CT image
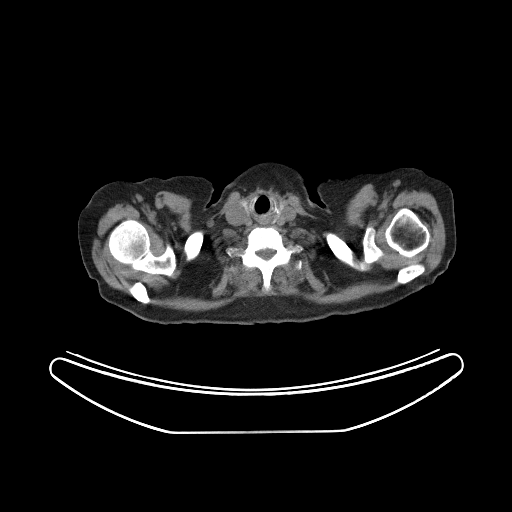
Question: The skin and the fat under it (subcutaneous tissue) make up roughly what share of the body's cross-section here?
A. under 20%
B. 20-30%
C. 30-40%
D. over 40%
Answer: C. 30-40%
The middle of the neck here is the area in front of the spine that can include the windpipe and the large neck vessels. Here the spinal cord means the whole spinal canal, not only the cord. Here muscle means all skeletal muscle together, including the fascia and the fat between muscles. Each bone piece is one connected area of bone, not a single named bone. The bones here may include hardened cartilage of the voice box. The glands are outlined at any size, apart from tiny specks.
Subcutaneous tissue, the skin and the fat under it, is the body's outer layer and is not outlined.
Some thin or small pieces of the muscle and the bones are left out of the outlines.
{"torso":[[[264,160],[299,171],[319,206],[324,205],[316,191],[320,182],[382,172],[369,206],[372,244],[407,279],[432,284],[383,308],[303,323],[165,325],[101,297],[94,280],[136,267],[157,238],[156,212],[138,181],[202,176],[214,187],[210,205],[231,180]]],"bones":[[[127,219],[136,220],[143,225],[149,236],[150,250],[155,256],[159,256],[164,252],[167,243],[171,245],[176,259],[176,266],[171,276],[157,273],[148,273],[141,270],[135,270],[129,265],[122,263],[113,257],[108,246],[108,236],[110,232],[120,222]],[[403,207],[411,209],[419,216],[427,227],[430,234],[430,238],[427,246],[411,259],[414,262],[421,263],[425,268],[424,271],[407,283],[398,284],[396,282],[397,272],[400,268],[406,265],[409,260],[401,256],[387,244],[385,238],[385,230],[396,212]],{"outer":[[256,226],[273,226],[286,244],[298,244],[303,248],[300,252],[292,254],[288,263],[278,265],[273,269],[270,280],[271,288],[267,292],[262,289],[263,277],[257,267],[246,268],[240,257],[230,257],[226,253],[226,248],[229,246],[244,247],[247,235]],"hole":[[264,249],[271,249],[272,250],[274,250],[275,251],[275,252],[272,255],[272,256],[271,257],[270,257],[267,259],[265,259],[264,258],[263,258],[262,257],[261,257],[259,255],[258,255],[257,254],[257,251],[259,251],[260,250],[263,250]]},[[368,226],[374,228],[375,230],[374,241],[376,245],[384,252],[384,256],[370,264],[367,270],[361,271],[343,263],[334,255],[326,241],[324,233],[328,231],[335,233],[349,246],[353,251],[355,257],[358,260],[361,260],[363,257],[362,240],[365,230]],[[199,229],[202,230],[204,234],[204,237],[203,238],[203,242],[201,245],[201,248],[199,251],[199,253],[195,258],[194,258],[190,261],[187,261],[186,260],[186,256],[184,252],[184,244],[188,236],[195,230],[198,230]],[[138,281],[143,283],[146,287],[146,289],[147,290],[147,292],[148,293],[148,296],[150,299],[150,302],[147,304],[145,304],[144,303],[142,303],[141,302],[138,301],[130,294],[130,293],[128,290],[128,286],[130,286],[135,282],[137,282]]],"spinal_cord":[[[264,249],[271,249],[272,250],[274,250],[275,251],[275,252],[272,255],[272,256],[271,257],[270,257],[267,259],[265,259],[264,258],[263,258],[262,257],[261,257],[259,255],[258,255],[257,254],[257,251],[259,251],[260,250],[263,250]]],"thyroid_glands":[[[281,201],[285,201],[285,202],[286,203],[286,204],[285,205],[285,207],[284,208],[284,209],[281,212],[281,213],[280,214],[280,215],[279,216],[279,217],[278,217],[277,216],[277,215],[276,214],[278,212],[278,205],[279,204],[279,202],[280,202]],[[242,200],[246,200],[248,202],[248,216],[247,215],[247,214],[245,212],[245,211],[244,210],[244,208],[242,206]]],"left_arm":[[[399,167],[419,168],[427,174],[445,181],[450,186],[453,193],[455,227],[456,228],[456,250],[447,269],[439,275],[433,283],[421,283],[407,278],[394,266],[388,262],[377,251],[371,239],[370,235],[370,206],[375,189],[378,184],[378,181],[383,172]]],"right_arm":[[[115,180],[137,181],[143,187],[150,199],[155,212],[157,220],[157,234],[155,241],[150,251],[136,266],[123,273],[114,276],[101,278],[100,279],[92,279],[87,274],[80,254],[78,239],[77,238],[78,217],[82,208],[88,202],[92,194],[102,185]]],"middle_of_the_neck":[[[258,190],[266,190],[280,198],[277,205],[275,202],[273,203],[273,210],[278,218],[285,209],[286,205],[292,207],[296,213],[293,221],[284,225],[266,226],[238,226],[227,221],[225,213],[240,200],[241,206],[248,217],[249,202],[246,199],[243,199]]],"muscle":[{"outer":[[367,183],[385,191],[413,186],[429,191],[443,218],[445,247],[437,266],[421,275],[425,266],[412,259],[431,234],[415,211],[400,207],[384,230],[386,244],[408,260],[396,272],[400,285],[345,303],[268,295],[204,311],[178,310],[149,304],[139,280],[127,286],[130,295],[111,287],[92,259],[99,218],[117,203],[141,204],[160,190],[190,198],[192,219],[201,225],[234,188],[275,185],[298,194],[321,225],[333,228]],"holes":[[[258,190],[266,190],[292,207],[296,213],[293,221],[273,226],[286,244],[303,248],[292,254],[288,263],[273,269],[267,292],[262,289],[263,277],[257,267],[246,268],[240,257],[226,253],[229,246],[244,247],[247,235],[256,226],[233,225],[225,213]],[[127,219],[136,220],[143,225],[149,236],[150,250],[155,256],[159,256],[164,252],[167,243],[171,245],[176,259],[176,266],[171,276],[157,273],[148,273],[141,270],[135,270],[129,265],[122,263],[113,257],[108,246],[108,236],[110,232],[120,222]],[[368,226],[374,228],[375,230],[374,241],[376,245],[384,252],[384,256],[370,264],[367,270],[361,271],[343,263],[334,255],[326,241],[324,233],[328,231],[335,233],[349,246],[353,251],[355,257],[358,260],[361,260],[363,257],[362,240],[365,230]],[[199,229],[202,230],[204,234],[204,237],[203,238],[203,242],[201,245],[201,248],[199,251],[199,253],[195,258],[194,258],[190,261],[187,261],[186,260],[186,256],[184,252],[184,244],[188,236],[195,230],[198,230]],[[299,259],[300,259],[302,261],[302,266],[301,267],[301,268],[299,270],[298,269],[296,269],[294,267],[294,265],[295,264],[295,263]]]}]}